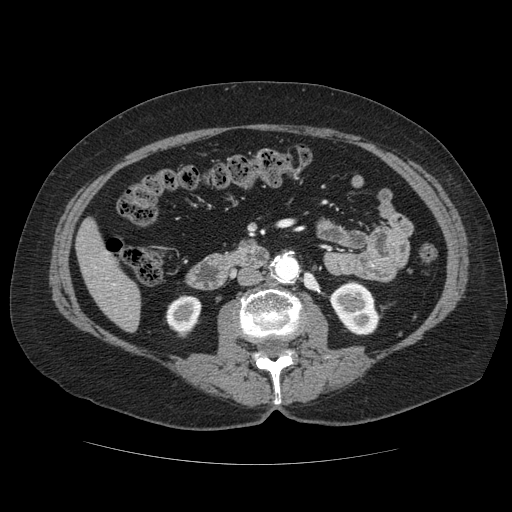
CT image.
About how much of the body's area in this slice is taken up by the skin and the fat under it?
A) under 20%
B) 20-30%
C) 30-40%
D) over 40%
Answer: C) 30-40%
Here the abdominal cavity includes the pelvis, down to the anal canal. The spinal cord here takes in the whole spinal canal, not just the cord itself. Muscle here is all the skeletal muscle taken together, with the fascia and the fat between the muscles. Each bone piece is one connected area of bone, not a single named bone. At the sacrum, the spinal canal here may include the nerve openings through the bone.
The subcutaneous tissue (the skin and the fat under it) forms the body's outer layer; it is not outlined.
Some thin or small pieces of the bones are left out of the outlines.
Outlines:
bones 1: [[264,288],[277,288],[280,290],[287,290],[296,295],[303,305],[303,309],[301,312],[301,329],[288,342],[284,336],[270,334],[261,338],[256,346],[255,344],[246,339],[239,327],[239,298],[245,292],[250,293]]
bones 2: [[288,347],[292,348],[296,353],[296,356],[293,356],[295,363],[286,366],[281,370],[279,375],[281,403],[274,404],[273,400],[275,394],[271,375],[267,370],[259,369],[255,365],[251,354],[257,349],[261,352],[263,356],[274,360],[283,354]]
abdominal cavity: [[235,129],[353,144],[407,182],[437,222],[447,249],[443,289],[418,327],[380,349],[367,351],[363,344],[330,348],[328,320],[309,293],[264,287],[245,291],[219,308],[215,353],[187,355],[127,341],[83,311],[69,257],[76,223],[92,198],[132,163]]
muscle: [[258,123],[329,127],[403,152],[438,181],[455,206],[467,236],[469,265],[463,297],[421,339],[376,362],[358,381],[332,395],[311,404],[284,405],[280,375],[296,363],[297,353],[288,343],[303,325],[304,305],[297,291],[309,294],[325,316],[330,349],[363,345],[367,352],[380,350],[405,338],[428,317],[444,289],[448,255],[430,209],[372,152],[353,143],[287,131],[228,129],[158,150],[120,168],[91,198],[74,226],[68,265],[79,306],[127,342],[187,356],[217,352],[219,310],[237,298],[238,327],[257,346],[250,355],[259,370],[269,373],[274,394],[273,404],[243,409],[195,388],[153,360],[80,330],[59,312],[48,277],[55,230],[67,203],[104,167],[179,133]]
spinal cord: [[270,335],[275,335],[276,336],[281,336],[282,337],[284,337],[285,338],[285,340],[287,342],[287,347],[283,351],[283,353],[280,354],[274,359],[272,359],[266,355],[263,355],[262,352],[258,349],[258,343],[261,341],[261,339],[265,338]]
torso: [[245,80],[309,82],[357,93],[413,120],[454,156],[491,217],[507,290],[497,340],[474,384],[358,425],[302,423],[274,410],[257,425],[194,431],[146,422],[75,397],[30,363],[12,330],[9,285],[23,225],[54,165],[86,134],[133,105],[186,87]]